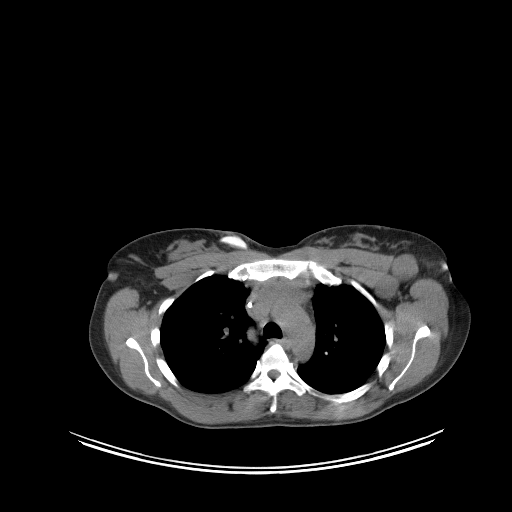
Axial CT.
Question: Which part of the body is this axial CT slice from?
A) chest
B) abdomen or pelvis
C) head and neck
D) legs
Answer: A) chest
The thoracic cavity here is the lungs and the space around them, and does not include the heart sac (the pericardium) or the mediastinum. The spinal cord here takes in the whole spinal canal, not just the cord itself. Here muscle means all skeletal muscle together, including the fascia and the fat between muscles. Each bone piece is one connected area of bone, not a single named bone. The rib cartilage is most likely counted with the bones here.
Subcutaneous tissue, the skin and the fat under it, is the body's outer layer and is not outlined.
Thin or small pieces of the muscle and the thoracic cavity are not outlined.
Outlined structures:
thoracic cavity 1: 214 274; 226 275; 229 279; 242 282; 248 290; 245 298; 245 311; 253 321; 257 336; 266 343; 248 380; 245 383; 235 389; 223 393; 207 394; 189 389; 179 382; 164 358; 164 354; 160 345; 160 326; 164 313; 186 289; 192 284
thoracic cavity 2: 320 283; 329 287; 339 286; 343 283; 352 286; 372 304; 383 323; 385 346; 375 370; 364 383; 345 392; 327 393; 320 391; 307 383; 299 375; 296 368; 299 364; 306 363; 312 357; 314 352; 316 343; 316 319; 312 298; 315 288
spinal cord: 271 370; 276 370; 277 371; 278 371; 278 372; 279 373; 279 374; 276 377; 275 377; 274 378; 272 378; 271 377; 270 377; 268 375; 268 373; 269 372; 269 371; 270 371
torso: 344 224; 385 225; 430 238; 445 252; 452 280; 469 304; 470 328; 460 355; 438 382; 419 395; 353 424; 205 429; 185 424; 129 396; 97 363; 88 340; 89 320; 108 260; 126 243; 160 230; 199 227; 235 230; 264 245; 280 247
bones 1: 274 343; 281 345; 298 375; 320 392; 339 394; 366 382; 373 384; 358 398; 340 404; 307 392; 298 395; 291 389; 284 389; 277 394; 276 410; 272 413; 269 410; 272 398; 265 391; 256 389; 246 393; 242 387; 249 380; 264 350 with a hole at 271 370; 276 370; 277 371; 278 371; 278 372; 279 373; 279 374; 276 377; 275 377; 274 378; 272 378; 271 377; 270 377; 268 375; 268 373; 269 372; 269 371; 270 371
bones 2: 269 258; 313 260; 322 265; 334 275; 340 277; 342 283; 339 285; 329 286; 321 283; 314 278; 311 278; 309 283; 306 284; 302 277; 289 279; 283 276; 271 277; 263 281; 249 279; 241 281; 229 278; 227 273; 237 265; 254 260
bones 3: 422 324; 426 324; 429 327; 431 332; 433 334; 430 336; 422 337; 416 342; 414 357; 410 365; 403 375; 395 383; 393 389; 392 390; 389 390; 388 389; 388 386; 394 378; 400 373; 407 363; 411 355; 412 343; 416 330
bones 4: 387 321; 388 322; 391 322; 393 326; 393 342; 392 343; 392 346; 390 349; 390 356; 391 357; 388 366; 382 373; 381 376; 379 377; 376 371; 376 367; 382 355; 385 352; 390 350; 386 345; 386 340; 385 339; 384 322
bones 5: 129 337; 133 337; 139 344; 146 357; 148 363; 148 370; 150 374; 155 379; 160 382; 161 384; 160 387; 156 386; 146 375; 145 373; 145 368; 144 367; 144 362; 139 352; 136 349; 134 348; 130 348; 126 345; 125 341; 126 339
bones 6: 158 356; 159 357; 162 357; 165 360; 169 368; 176 377; 179 383; 179 387; 176 387; 174 386; 164 376; 164 375; 161 372; 155 360; 156 357
bones 7: 349 279; 353 279; 357 282; 358 282; 362 286; 363 286; 363 288; 372 296; 372 297; 374 299; 374 300; 378 304; 378 310; 377 310; 376 309; 376 308; 373 305; 373 304; 364 295; 363 295; 352 285; 351 285; 348 283; 348 280
bones 8: 154 326; 158 326; 159 327; 159 345; 158 345; 157 346; 156 346; 155 347; 154 347; 152 345; 152 343; 151 342; 151 339; 150 338; 150 331; 151 330; 151 329
bones 9: 169 296; 173 296; 175 298; 175 299; 173 301; 173 302; 169 306; 169 307; 168 307; 167 308; 167 309; 163 313; 163 314; 159 314; 158 313; 158 310; 159 309; 159 306; 160 305; 160 304; 163 301; 163 300; 165 298; 166 298
bones 10: 210 269; 213 269; 214 270; 215 270; 215 271; 216 272; 215 273; 214 273; 211 275; 206 276; 205 277; 204 277; 203 278; 202 278; 201 279; 194 282; 195 279; 199 275; 200 275; 202 273; 205 272; 207 270; 209 270
mediastinum: 276 277; 303 280; 306 285; 311 280; 319 282; 314 288; 311 298; 315 319; 313 352; 306 362; 299 363; 296 366; 281 344; 274 342; 265 349; 267 342; 258 336; 254 321; 246 311; 246 298; 249 290; 243 281; 263 282
muscle 1: 423 277; 437 280; 448 299; 448 330; 435 369; 416 385; 393 394; 370 412; 348 419; 313 420; 270 414; 248 421; 197 422; 157 395; 146 395; 129 387; 113 363; 104 338; 107 301; 119 289; 130 286; 138 291; 140 304; 148 308; 166 297; 157 310; 162 315; 160 325; 150 329; 149 338; 154 348; 160 346; 163 357; 156 356; 155 363; 174 387; 179 388; 181 384; 207 395; 223 394; 240 387; 246 394; 260 390; 271 398; 268 410; 272 414; 277 410; 278 394; 284 390; 298 396; 307 393; 340 405; 364 395; 374 384; 367 381; 370 376; 375 371; 380 378; 390 364; 394 326; 391 321; 383 322; 378 303; 395 309; inner edges: 422 324; 426 324; 429 327; 431 332; 433 334; 430 336; 422 337; 416 342; 414 357; 410 365; 403 375; 395 383; 393 389; 392 390; 389 390; 388 389; 388 386; 394 378; 400 373; 407 363; 411 355; 412 343; 416 330, then 129 337; 133 337; 139 344; 146 357; 148 363; 148 370; 150 374; 155 379; 160 382; 161 384; 160 387; 156 386; 146 375; 145 373; 145 368; 144 367; 144 362; 139 352; 136 349; 134 348; 130 348; 126 345; 125 341; 126 339
muscle 2: 304 246; 365 249; 394 255; 390 270; 374 288; 353 278; 345 283; 340 276; 310 258; 259 258; 239 263; 226 274; 216 273; 210 268; 199 274; 176 298; 169 295; 172 292; 160 284; 154 274; 155 267; 199 254; 261 251; 276 256